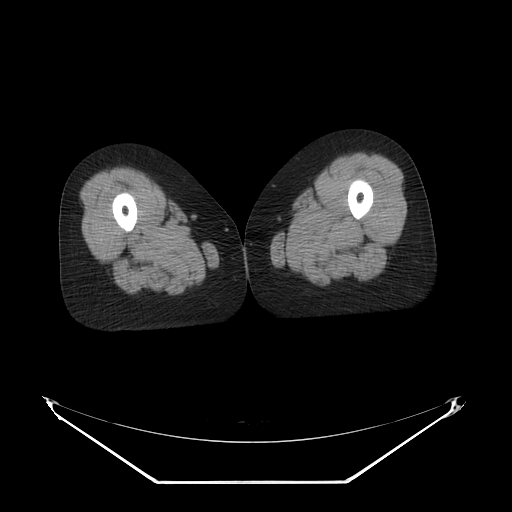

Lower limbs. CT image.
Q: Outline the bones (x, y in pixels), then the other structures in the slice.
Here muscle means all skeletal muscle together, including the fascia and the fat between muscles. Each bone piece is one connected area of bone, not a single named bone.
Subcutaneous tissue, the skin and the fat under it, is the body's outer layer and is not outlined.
A: {"bones":[[[356,179],[362,179],[363,180],[365,180],[371,186],[372,190],[373,191],[373,202],[372,203],[372,205],[369,209],[369,210],[361,218],[359,219],[356,219],[352,215],[349,209],[348,203],[347,202],[347,193],[348,192],[348,188],[351,182]],[[121,192],[127,192],[132,195],[134,198],[134,200],[136,203],[136,206],[137,207],[137,220],[134,227],[132,229],[132,230],[130,231],[125,231],[118,225],[113,216],[113,213],[112,212],[112,207],[111,206],[112,204],[112,201],[114,197],[117,194]]],"muscle":[{"outer":[[356,151],[380,153],[397,164],[403,172],[403,192],[407,202],[407,215],[402,233],[392,248],[389,264],[384,272],[370,281],[339,290],[320,289],[295,283],[284,278],[271,265],[269,246],[272,237],[281,228],[283,219],[293,200],[301,190],[334,158]],"hole":[[356,179],[362,179],[363,180],[365,180],[371,186],[372,190],[373,191],[373,202],[372,203],[372,205],[369,209],[369,210],[361,218],[359,219],[356,219],[352,215],[349,209],[348,203],[347,202],[347,193],[348,192],[348,188],[351,182]]},{"outer":[[121,165],[130,166],[143,171],[163,190],[167,191],[194,224],[207,236],[209,241],[215,245],[220,258],[219,266],[196,292],[186,296],[169,299],[126,295],[102,271],[102,267],[90,253],[81,233],[82,216],[79,209],[79,191],[84,182],[96,172]],"hole":[[121,192],[127,192],[132,195],[134,198],[134,200],[136,203],[136,206],[137,207],[137,220],[134,227],[132,229],[132,230],[130,231],[125,231],[118,225],[113,216],[113,213],[112,212],[112,207],[111,206],[112,204],[112,201],[114,197],[117,194]]}],"left_leg":[[[348,127],[368,128],[381,132],[399,143],[413,159],[427,195],[432,218],[437,251],[437,279],[435,286],[425,301],[410,310],[345,317],[286,320],[275,319],[257,304],[250,288],[246,255],[242,243],[247,219],[265,184],[295,152],[308,142],[324,133]]],"right_leg":[[[120,141],[147,143],[173,157],[199,181],[235,222],[245,255],[249,287],[246,291],[243,306],[228,322],[217,325],[160,331],[120,331],[108,333],[84,327],[74,321],[68,314],[63,303],[59,283],[58,215],[62,189],[69,173],[84,156],[100,146]]]}